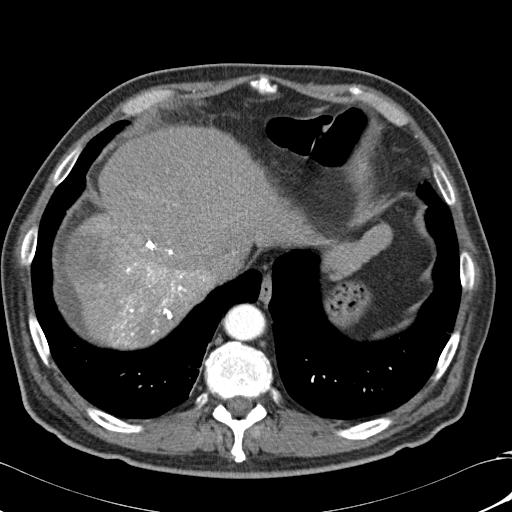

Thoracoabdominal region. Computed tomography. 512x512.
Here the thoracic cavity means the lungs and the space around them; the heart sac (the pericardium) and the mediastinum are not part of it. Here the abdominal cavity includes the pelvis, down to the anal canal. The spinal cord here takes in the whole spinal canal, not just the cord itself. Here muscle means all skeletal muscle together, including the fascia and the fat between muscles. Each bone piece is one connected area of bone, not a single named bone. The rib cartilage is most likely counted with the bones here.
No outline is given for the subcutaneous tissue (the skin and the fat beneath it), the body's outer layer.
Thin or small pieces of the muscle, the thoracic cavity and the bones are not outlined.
Outlines (x, y in pixels):
spinal cord: (235, 396) (242, 396) (243, 397) (245, 397) (246, 398) (249, 399) (251, 401) (251, 402) (252, 403) (252, 407) (248, 411) (248, 412) (245, 415) (244, 415) (243, 416) (234, 416) (228, 410) (228, 409) (226, 406) (226, 403) (227, 402) (227, 400) (228, 399) (230, 399)
muscle 1: (266, 75) (299, 83) (361, 84) (399, 104) (434, 144) (453, 178) (465, 223) (477, 250) (481, 282) (475, 297) (475, 314) (461, 383) (447, 403) (410, 426) (358, 449) (311, 457) (246, 460) (242, 447) (244, 433) (267, 415) (260, 399) (266, 393) (276, 404) (285, 398) (318, 417) (347, 424) (334, 433) (348, 440) (364, 440) (385, 430) (393, 419) (384, 414) (408, 401) (429, 378) (437, 382) (447, 370) (461, 338) (461, 331) (454, 329) (461, 291) (471, 291) (475, 282) (473, 259) (466, 249) (459, 251) (449, 207) (456, 203) (454, 189) (442, 166) (434, 160) (429, 163) (417, 140) (401, 127) (408, 123) (408, 118) (399, 108) (354, 84) (347, 91) (351, 100) (359, 101) (337, 102) (288, 87) (279, 89) (278, 84)
muscle 2: (254, 74) (258, 75) (248, 82) (249, 86) (239, 85) (195, 100) (170, 100) (176, 94) (172, 88) (153, 89) (130, 98) (120, 109) (130, 117) (111, 123) (84, 146) (78, 143) (61, 161) (51, 179) (55, 189) (39, 224) (32, 224) (21, 241) (20, 264) (30, 266) (35, 313) (27, 314) (27, 326) (34, 347) (43, 364) (49, 368) (51, 357) (67, 381) (92, 405) (84, 409) (94, 422) (113, 432) (140, 433) (144, 429) (142, 424) (125, 420) (156, 418) (192, 401) (199, 409) (208, 402) (210, 394) (217, 399) (211, 415) (232, 431) (229, 452) (233, 460) (209, 452) (167, 455) (110, 443) (85, 430) (51, 401) (28, 368) (20, 332) (18, 277) (14, 265) (20, 226) (67, 149) (120, 102) (160, 84) (219, 81)
torso: (219, 62) (326, 65) (371, 72) (414, 94) (446, 132) (491, 252) (496, 291) (466, 408) (459, 419) (426, 443) (325, 473) (269, 479) (195, 477) (137, 468) (120, 459) (102, 459) (70, 447) (24, 408) (6, 328) (0, 254) (26, 188) (70, 126) (113, 87) (155, 70)
mediastinum 1: (272, 247) (289, 251) (276, 257) (270, 268) (271, 297) (268, 303) (268, 310) (273, 321) (272, 333) (276, 370) (263, 351) (237, 340) (227, 340) (206, 354) (208, 344) (222, 315) (236, 303) (251, 303) (257, 299) (262, 274) (258, 269) (253, 268) (253, 264) (263, 251)
mediastinum 2: (377, 111) (390, 123) (397, 127) (402, 128) (409, 133) (419, 144) (427, 158) (431, 175) (442, 198) (438, 195) (427, 181) (418, 185) (415, 189) (415, 192) (406, 189) (398, 192) (388, 200) (384, 200) (382, 198) (381, 179) (373, 163) (375, 148) (382, 141)
abdominal cavity: (239, 86) (268, 96) (288, 88) (376, 111) (381, 141) (372, 163) (381, 198) (416, 193) (437, 248) (433, 289) (415, 320) (378, 341) (348, 338) (322, 308) (318, 257) (272, 246) (150, 347) (119, 351) (86, 342) (54, 301) (51, 252) (90, 167) (128, 118)
thoracic cavity 1: (426, 182) (451, 214) (461, 288) (453, 329) (432, 373) (399, 406) (351, 425) (292, 403) (274, 385) (277, 363) (269, 310) (274, 260) (293, 251) (317, 257) (321, 308) (343, 336) (356, 342) (397, 336) (414, 323) (434, 289) (438, 248) (426, 225) (428, 205) (416, 192)
thoracic cavity 2: (122, 119) (129, 123) (92, 162) (51, 245) (52, 297) (73, 333) (100, 349) (144, 350) (216, 288) (250, 269) (261, 274) (256, 299) (234, 303) (219, 318) (202, 360) (203, 390) (141, 419) (94, 406) (68, 381) (51, 356) (32, 291) (31, 265) (50, 198) (85, 146)
bones 1: (227, 341) (241, 342) (263, 352) (273, 369) (273, 385) (283, 397) (279, 403) (268, 392) (259, 398) (266, 415) (244, 431) (241, 447) (246, 458) (240, 462) (230, 452) (233, 431) (212, 415) (218, 402) (216, 396) (210, 393) (199, 408) (194, 403) (206, 389) (204, 358); inner edge: (235, 396) (242, 396) (243, 397) (245, 397) (246, 398) (249, 399) (251, 401) (251, 402) (252, 403) (252, 407) (248, 411) (248, 412) (245, 415) (244, 415) (243, 416) (234, 416) (228, 410) (228, 409) (226, 406) (226, 403) (227, 402) (227, 400) (228, 399) (230, 399)
bones 2: (354, 85) (357, 86) (364, 91) (373, 93) (380, 98) (386, 100) (391, 103) (399, 109) (406, 116) (407, 118) (407, 123) (405, 125) (402, 126) (397, 126) (390, 122) (377, 110) (367, 103) (359, 100) (353, 100) (351, 99) (350, 97) (351, 96) (348, 91) (348, 88)
bones 3: (159, 89) (172, 89) (174, 90) (175, 91) (175, 94) (171, 99) (167, 101) (163, 101) (157, 103) (155, 105) (152, 105) (148, 109) (146, 109) (135, 115) (127, 115) (122, 111) (121, 109) (122, 106) (130, 99) (132, 99) (145, 92) (149, 92) (153, 90) (158, 90)
bones 4: (381, 416) (388, 416) (390, 417) (392, 419) (392, 423) (385, 429) (371, 436) (369, 436) (364, 439) (348, 439) (347, 438) (339, 436) (335, 433) (335, 431) (340, 428) (346, 428) (349, 426) (351, 426) (352, 425) (354, 425) (364, 421) (367, 421) (377, 417) (380, 417)
bones 5: (88, 406) (93, 406) (106, 413) (108, 413) (115, 417) (122, 419) (129, 423) (140, 424) (142, 425) (143, 429) (142, 431) (140, 432) (131, 432) (130, 433) (125, 433) (124, 432) (119, 432) (118, 431) (109, 430) (98, 424) (88, 415) (85, 409) (86, 407)
bones 6: (457, 329) (460, 331) (460, 338) (459, 339) (459, 342) (458, 343) (457, 348) (455, 351) (455, 353) (444, 373) (441, 377) (435, 382) (433, 381) (430, 377) (435, 369) (439, 356) (442, 352) (445, 345) (447, 343) (451, 333) (454, 330) (456, 330)
bones 7: (30, 312) (35, 314) (37, 318) (37, 320) (40, 325) (40, 327) (47, 341) (47, 343) (49, 347) (49, 350) (50, 351) (50, 357) (49, 358) (49, 361) (51, 365) (49, 367) (47, 367) (44, 364) (33, 342) (33, 340) (29, 330) (29, 327) (28, 326) (28, 314)
bones 8: (432, 161) (434, 161) (438, 163) (441, 166) (442, 169) (444, 171) (453, 189) (453, 191) (454, 192) (454, 195) (455, 196) (455, 203) (453, 205) (451, 205) (449, 206) (443, 199) (443, 197) (432, 175) (432, 172) (431, 171) (431, 167) (430, 166) (430, 163)
bones 9: (34, 224) (36, 224) (38, 225) (38, 232) (37, 233) (37, 241) (36, 242) (36, 246) (35, 247) (35, 252) (33, 256) (33, 259) (31, 262) (31, 264) (29, 266) (27, 266) (26, 265) (22, 265) (21, 264) (21, 257) (20, 256) (22, 241) (28, 229) (32, 225)
bones 10: (462, 250) (466, 250) (469, 253) (469, 254) (472, 259) (472, 261) (473, 262) (473, 265) (474, 266) (474, 282) (473, 283) (473, 287) (471, 290) (462, 290) (462, 288) (461, 287) (461, 282) (460, 281) (460, 261) (459, 260) (459, 254) (460, 253) (460, 252)
bones 11: (78, 144) (81, 144) (84, 147) (83, 149) (79, 154) (76, 161) (74, 163) (73, 166) (71, 168) (70, 171) (65, 177) (65, 178) (56, 187) (54, 186) (52, 182) (52, 179) (53, 178) (53, 176) (57, 168) (62, 162) (62, 161) (68, 155) (68, 154)
bones 12: (259, 74) (264, 74) (268, 78) (268, 79) (271, 83) (275, 83) (277, 84) (278, 86) (278, 89) (277, 90) (277, 93) (276, 93) (275, 95) (274, 94) (271, 94) (270, 95) (268, 95) (267, 94) (260, 94) (250, 87) (249, 85) (249, 82) (251, 80) (257, 78)